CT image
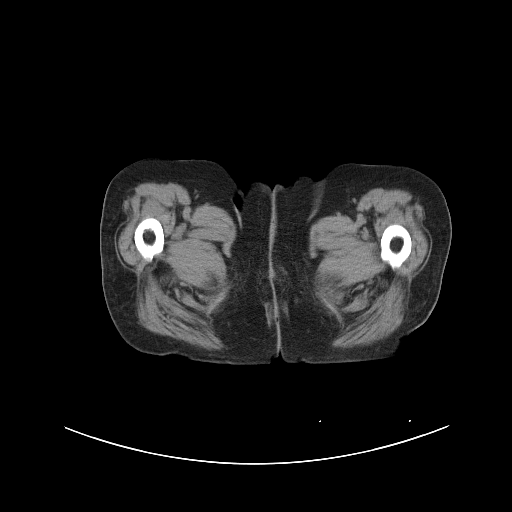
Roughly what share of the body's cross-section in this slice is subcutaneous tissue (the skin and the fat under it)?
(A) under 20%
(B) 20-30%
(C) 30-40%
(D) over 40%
Answer: (D) over 40%
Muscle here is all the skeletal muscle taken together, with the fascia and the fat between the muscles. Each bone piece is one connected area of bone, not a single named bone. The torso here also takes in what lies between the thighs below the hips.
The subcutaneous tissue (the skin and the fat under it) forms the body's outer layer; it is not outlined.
Outlines:
bones 1: 393 223; 396 223; 403 226; 408 231; 411 238; 411 249; 410 250; 409 255; 401 264; 401 265; 398 268; 396 268; 395 269; 392 269; 387 262; 382 260; 380 256; 380 253; 381 252; 380 240; 381 239; 382 233; 384 229; 388 225
bones 2: 146 217; 154 217; 156 218; 160 222; 162 226; 163 234; 164 235; 164 245; 162 251; 158 255; 156 255; 150 262; 146 261; 146 260; 142 257; 141 254; 136 248; 135 242; 134 241; 134 232; 135 231; 135 228; 138 223; 142 219
left leg: 343 163; 406 165; 428 175; 437 183; 446 199; 451 218; 451 243; 436 304; 429 317; 405 339; 399 353; 391 358; 378 361; 313 365; 311 360; 312 311; 310 293; 299 248; 299 238; 307 211; 320 190; 323 181; 322 176; 333 167
muscle 1: 146 181; 178 183; 197 201; 209 202; 226 210; 236 226; 235 285; 227 303; 214 317; 213 322; 216 334; 228 347; 226 349; 210 351; 198 348; 154 334; 138 323; 135 276; 120 264; 115 252; 114 237; 122 223; 124 200; 138 183, around a hole outlined by 146 217; 154 217; 156 218; 160 222; 162 226; 163 234; 164 235; 164 245; 162 251; 158 255; 156 255; 150 262; 146 261; 146 260; 142 257; 141 254; 136 248; 135 242; 134 241; 134 232; 135 231; 135 228; 138 223; 142 219
muscle 2: 375 187; 399 188; 412 194; 425 213; 424 225; 432 241; 431 252; 424 268; 412 280; 405 319; 399 327; 389 337; 372 345; 334 349; 330 343; 339 331; 338 322; 316 301; 310 287; 310 269; 307 264; 309 229; 318 217; 339 212; inner edge: 393 223; 396 223; 403 226; 408 231; 411 238; 411 249; 410 250; 409 255; 401 264; 401 265; 398 268; 396 268; 395 269; 392 269; 387 262; 382 260; 380 256; 380 253; 381 252; 380 240; 381 239; 382 233; 384 229; 388 225
torso: 300 175; 310 175; 315 179; 322 178; 319 190; 306 211; 298 238; 311 311; 310 360; 312 365; 286 364; 279 356; 267 365; 247 366; 251 353; 251 326; 248 316; 248 215; 245 189; 253 180; 262 180; 273 186; 278 182; 289 183
right leg: 150 157; 205 159; 217 162; 231 173; 239 187; 244 190; 247 215; 247 316; 250 326; 250 353; 246 366; 195 362; 178 355; 145 354; 128 345; 121 338; 114 326; 106 306; 102 289; 99 225; 103 200; 110 180; 118 171; 137 160